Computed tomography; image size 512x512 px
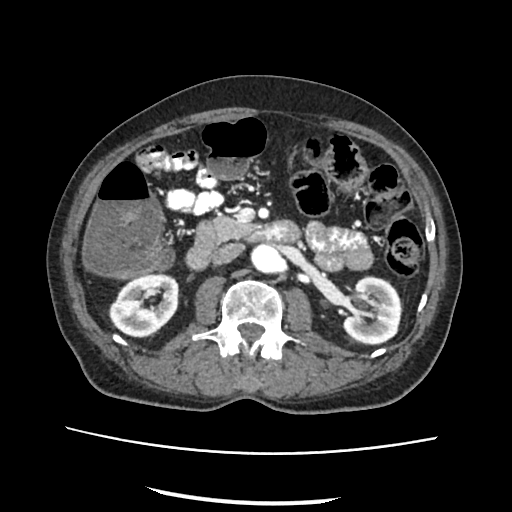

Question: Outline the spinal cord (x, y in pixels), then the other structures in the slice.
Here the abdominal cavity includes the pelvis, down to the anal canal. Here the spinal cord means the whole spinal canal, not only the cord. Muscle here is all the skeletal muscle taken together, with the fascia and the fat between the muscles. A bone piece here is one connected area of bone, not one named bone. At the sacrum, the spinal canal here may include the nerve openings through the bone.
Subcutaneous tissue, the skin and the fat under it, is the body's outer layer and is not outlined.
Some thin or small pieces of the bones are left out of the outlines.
Answer: {"spinal_cord":[[[249,342],[252,342],[255,339],[258,338],[261,335],[261,334],[264,330],[264,329],[261,326],[257,324],[255,324],[254,323],[244,323],[238,326],[238,329],[241,333],[241,335],[244,338],[245,338],[247,340],[247,341]]],"bones":[{"outer":[[277,360],[282,358],[281,349],[287,341],[302,345],[305,343],[282,329],[284,303],[281,295],[274,287],[259,280],[244,279],[232,284],[220,302],[220,322],[214,328],[191,336],[192,340],[215,341],[222,357],[242,351],[251,359],[258,351],[261,357]],"hole":[[249,342],[252,342],[255,339],[258,338],[261,335],[261,334],[264,330],[264,329],[261,326],[257,324],[255,324],[254,323],[244,323],[238,326],[238,329],[241,333],[241,335],[244,338],[245,338],[247,340],[247,341]]},[[428,245],[430,243],[433,242],[435,239],[435,224],[434,223],[434,221],[433,220],[433,219],[432,218],[432,217],[431,216],[431,215],[428,210],[428,207],[427,206],[426,206],[426,217],[425,218],[425,235],[426,236],[426,239],[428,242]],[[125,346],[126,346],[127,345],[128,345],[128,343],[124,339],[123,339],[118,334],[117,334],[116,333],[113,333],[112,334],[112,338],[117,343],[118,343],[119,344],[121,344],[122,345],[124,345]]],"abdominal_cavity":[[[358,352],[409,331],[429,270],[424,222],[403,172],[383,149],[262,113],[154,139],[104,176],[76,260],[88,310],[102,328],[158,349],[194,319],[197,287],[217,274],[226,279],[225,290],[244,278],[265,281],[282,297],[284,289],[301,288],[312,329]]],"torso":[[[291,414],[381,407],[403,397],[427,375],[446,341],[461,287],[459,228],[444,182],[427,153],[374,104],[303,78],[218,77],[137,112],[87,152],[66,184],[50,225],[45,253],[50,298],[59,330],[83,374],[105,395],[190,411],[210,411],[247,398]]],"muscle":[{"outer":[[280,402],[281,401],[286,402],[290,401],[289,400],[291,398],[299,399],[311,396],[321,397],[324,395],[335,394],[349,388],[363,385],[388,372],[396,371],[408,358],[413,350],[413,346],[422,337],[425,329],[431,324],[437,310],[437,304],[440,298],[440,292],[444,287],[446,281],[445,274],[447,269],[446,262],[447,247],[446,246],[446,231],[441,206],[438,197],[435,194],[425,173],[415,160],[401,146],[386,138],[377,131],[361,124],[334,118],[326,115],[317,115],[309,113],[282,111],[272,109],[256,109],[249,107],[218,108],[190,114],[181,118],[176,118],[117,147],[100,159],[93,166],[92,169],[86,175],[79,186],[67,218],[66,226],[62,237],[62,243],[60,247],[60,261],[66,282],[68,296],[71,300],[70,303],[71,309],[75,318],[78,320],[83,329],[82,332],[100,349],[104,358],[113,361],[122,369],[127,376],[128,380],[135,380],[146,387],[154,388],[157,390],[171,393],[182,393],[203,397],[218,397],[219,396],[226,397],[238,390],[241,390],[253,393],[258,392],[265,397]],"holes":[[[277,360],[287,341],[305,345],[282,329],[292,286],[308,296],[314,331],[370,358],[422,310],[435,224],[396,162],[355,136],[262,113],[154,139],[116,163],[77,251],[98,325],[119,344],[158,349],[194,319],[197,287],[217,274],[221,320],[192,340]],[[245,377],[251,377],[252,376],[252,371],[251,370],[251,368],[250,367],[248,369],[248,370],[247,371],[247,372],[246,373],[246,374],[245,375]]]}]}